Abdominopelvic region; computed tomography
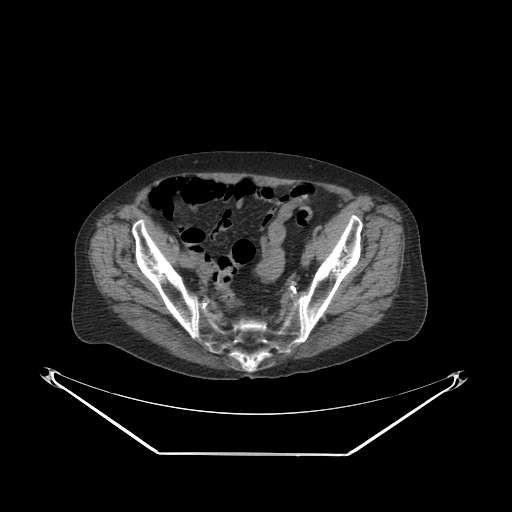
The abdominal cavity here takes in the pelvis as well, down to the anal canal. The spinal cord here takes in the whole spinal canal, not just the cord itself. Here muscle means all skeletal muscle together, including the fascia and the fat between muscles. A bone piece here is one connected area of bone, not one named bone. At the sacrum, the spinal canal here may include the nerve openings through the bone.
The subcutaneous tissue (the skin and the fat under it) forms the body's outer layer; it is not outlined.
{"abdominal_cavity":[[[177,176],[230,184],[247,176],[262,186],[310,182],[339,195],[345,205],[323,224],[313,240],[317,268],[307,289],[297,290],[266,320],[252,317],[237,321],[227,317],[213,300],[204,309],[177,271],[181,255],[178,238],[144,211],[145,196],[159,183]]],"muscle":[[[185,171],[245,171],[308,178],[359,189],[394,203],[404,222],[405,238],[404,263],[395,304],[379,322],[347,341],[310,357],[290,359],[256,371],[273,353],[288,354],[307,340],[341,282],[360,259],[363,221],[358,215],[351,214],[335,244],[318,266],[314,240],[324,224],[346,205],[339,194],[310,181],[262,185],[247,175],[235,183],[198,175],[177,175],[153,187],[144,196],[142,206],[143,211],[169,235],[177,238],[179,266],[176,270],[168,260],[149,234],[143,218],[134,221],[130,227],[135,263],[155,287],[169,313],[192,339],[214,354],[227,353],[244,371],[188,361],[145,338],[118,317],[98,290],[88,257],[90,239],[99,217],[128,203],[136,192],[154,180]],[[211,301],[213,301],[220,308],[221,312],[227,318],[231,318],[233,320],[235,320],[236,321],[235,323],[232,323],[231,324],[230,328],[229,329],[224,329],[222,328],[219,324],[210,318],[205,312],[205,310],[207,308],[207,306],[210,304],[210,302]],[[302,290],[303,290],[304,292],[302,293],[299,296],[299,297],[292,303],[291,306],[288,309],[288,311],[279,322],[277,326],[276,327],[269,326],[268,325],[267,318],[274,311],[276,311],[282,307],[285,307],[288,304],[292,296],[297,291],[301,291]]],"spinal_cord":[[[237,342],[240,342],[242,344],[245,344],[246,345],[247,345],[249,347],[253,347],[254,346],[255,346],[256,347],[256,349],[255,350],[254,350],[253,351],[247,351],[243,347],[240,347],[239,346],[238,347],[237,347],[236,346],[236,343]],[[272,349],[273,349],[274,349],[275,349],[276,350],[277,351],[277,352],[276,353],[275,353],[274,353],[273,352],[272,352],[271,351],[271,350]],[[225,349],[226,349],[227,349],[228,350],[228,351],[227,352],[226,352],[225,352],[224,351],[224,350]],[[260,343],[261,343],[262,344],[262,345],[261,346],[260,346],[259,345],[259,344]]],"torso":[[[211,150],[263,150],[309,156],[365,175],[400,197],[418,225],[427,283],[427,314],[419,332],[409,340],[389,343],[342,364],[287,377],[238,380],[187,376],[112,345],[89,344],[78,339],[71,325],[74,243],[87,215],[105,196],[147,166],[170,156]]],"bones":[{"outer":[[353,214],[363,224],[356,265],[340,282],[306,340],[288,353],[272,348],[272,355],[251,372],[229,356],[227,348],[221,353],[208,350],[173,317],[136,263],[131,232],[134,222],[144,220],[148,234],[187,290],[222,329],[252,318],[276,328],[308,289]],"hole":[[237,342],[240,342],[242,344],[245,344],[246,345],[247,345],[249,347],[253,347],[254,346],[255,346],[256,347],[256,349],[255,350],[254,350],[253,351],[247,351],[243,347],[240,347],[239,346],[238,347],[237,347],[236,346],[236,343]]}]}